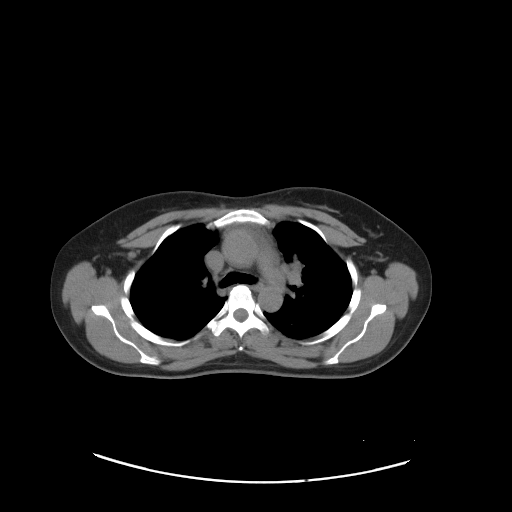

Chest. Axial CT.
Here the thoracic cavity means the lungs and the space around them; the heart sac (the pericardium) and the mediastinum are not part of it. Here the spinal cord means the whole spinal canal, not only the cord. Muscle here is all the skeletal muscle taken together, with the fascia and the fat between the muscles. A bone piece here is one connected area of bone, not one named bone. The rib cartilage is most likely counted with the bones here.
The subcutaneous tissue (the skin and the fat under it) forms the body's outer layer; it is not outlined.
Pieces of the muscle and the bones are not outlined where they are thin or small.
Outlines:
mediastinum: (236, 223) (274, 227) (272, 231) (273, 235) (287, 265) (285, 293) (282, 304) (277, 311) (268, 312) (262, 310) (254, 299) (251, 290) (245, 284) (240, 283) (233, 286) (226, 297) (217, 294) (213, 278) (206, 266) (204, 256) (218, 241) (218, 231) (216, 230)
bones 1: (132, 268) (136, 272) (128, 297) (134, 318) (164, 338) (180, 341) (193, 337) (220, 310) (230, 290) (240, 284) (250, 290) (273, 327) (265, 335) (250, 328) (241, 337) (228, 327) (217, 336) (205, 329) (197, 338) (181, 346) (154, 343) (136, 332) (121, 306) (124, 279); inner edge: (241, 308) (242, 309) (244, 309) (246, 311) (246, 312) (247, 313) (247, 316) (246, 317) (246, 318) (244, 320) (243, 320) (242, 321) (239, 321) (238, 320) (237, 320) (234, 317) (234, 312) (236, 310) (237, 310) (238, 309) (240, 309)
bones 2: (347, 257) (351, 258) (356, 267) (357, 286) (361, 290) (361, 295) (357, 307) (344, 327) (328, 339) (314, 344) (301, 343) (302, 341) (314, 339) (317, 335) (331, 326) (344, 313) (348, 311) (347, 308) (352, 295) (353, 285) (350, 273) (345, 262) (345, 259)
bones 3: (238, 208) (252, 208) (254, 209) (256, 211) (259, 212) (263, 216) (267, 218) (271, 222) (271, 224) (270, 225) (262, 225) (254, 222) (234, 222) (233, 223) (225, 225) (220, 228) (216, 228) (215, 229) (208, 229) (205, 226) (207, 223) (221, 217) (231, 210) (237, 209)
bones 4: (98, 304) (103, 304) (106, 306) (114, 320) (116, 329) (123, 337) (133, 342) (144, 353) (150, 356) (156, 356) (161, 362) (157, 365) (146, 364) (140, 362) (139, 353) (131, 345) (121, 341) (116, 336) (111, 322) (104, 316) (97, 315) (92, 311) (91, 306)
bones 5: (375, 303) (385, 304) (386, 305) (385, 311) (380, 314) (377, 314) (368, 322) (363, 335) (358, 340) (348, 345) (342, 351) (338, 356) (338, 362) (337, 363) (324, 364) (323, 363) (324, 360) (333, 356) (347, 341) (354, 338) (362, 330) (363, 324) (370, 314) (371, 307)
bones 6: (177, 223) (181, 223) (182, 224) (182, 227) (181, 227) (179, 229) (176, 230) (174, 232) (167, 236) (161, 242) (161, 243) (158, 246) (156, 250) (152, 254) (151, 254) (151, 252) (153, 248) (155, 246) (158, 239) (163, 233) (163, 232) (171, 225) (173, 224) (176, 224)
bones 7: (299, 218) (300, 219) (303, 219) (304, 220) (309, 221) (313, 224) (314, 224) (316, 226) (317, 226) (323, 232) (323, 233) (326, 237) (326, 239) (328, 242) (327, 243) (321, 237) (321, 236) (313, 229) (312, 229) (311, 228) (310, 228) (309, 227) (298, 222) (296, 220)
muscle 1: (85, 260) (115, 278) (121, 278) (127, 271) (119, 302) (129, 325) (142, 338) (168, 347) (186, 345) (205, 330) (217, 337) (227, 328) (240, 338) (250, 329) (265, 336) (274, 327) (296, 339) (316, 336) (302, 340) (303, 345) (328, 340) (345, 327) (360, 302) (362, 290) (358, 286) (356, 265) (361, 273) (370, 276) (390, 262) (404, 263) (416, 273) (418, 292) (387, 345) (363, 359) (338, 363) (339, 356) (364, 335) (374, 317) (386, 311) (385, 303) (375, 302) (361, 330) (322, 361) (324, 365) (332, 365) (291, 368) (238, 352) (185, 370) (166, 370) (150, 365) (157, 366) (162, 361) (123, 336) (103, 303) (92, 304) (91, 311) (110, 322) (115, 336) (138, 353) (141, 363) (112, 360) (89, 343) (62, 301) (67, 272)
muscle 2: (201, 207) (237, 208) (231, 209) (206, 223) (198, 222) (184, 227) (181, 222) (171, 224) (159, 236) (150, 252) (151, 255) (137, 271) (133, 267) (128, 270) (132, 261) (132, 254) (127, 248) (121, 247) (116, 242) (117, 240) (123, 238) (140, 225) (160, 214) (173, 210)
muscle 3: (267, 203) (294, 205) (323, 211) (344, 223) (366, 240) (353, 251) (352, 259) (347, 256) (344, 261) (328, 244) (329, 242) (324, 232) (309, 220) (299, 217) (295, 220) (296, 221) (281, 220) (274, 226) (265, 226) (270, 226) (272, 222) (259, 211) (248, 207) (258, 207)
thoracic cavity 1: (198, 223) (205, 224) (204, 226) (208, 230) (217, 231) (217, 241) (205, 253) (203, 256) (203, 260) (212, 278) (216, 294) (226, 298) (219, 310) (193, 336) (180, 340) (170, 337) (164, 337) (150, 330) (139, 321) (130, 301) (130, 290) (138, 270) (167, 237) (181, 228)
thoracic cavity 2: (281, 221) (297, 222) (317, 233) (345, 263) (351, 280) (351, 295) (344, 312) (327, 328) (316, 335) (305, 338) (296, 338) (286, 335) (276, 328) (268, 320) (263, 312) (277, 312) (283, 304) (286, 293) (288, 265) (283, 253) (278, 246) (278, 242) (273, 231) (276, 224)
spinal cord: (241, 308) (242, 309) (244, 309) (246, 311) (246, 312) (247, 313) (247, 316) (246, 317) (246, 318) (244, 320) (243, 320) (242, 321) (239, 321) (238, 320) (237, 320) (234, 317) (234, 312) (236, 310) (237, 310) (238, 309) (240, 309)
torso: (289, 186) (326, 187) (357, 197) (404, 229) (425, 252) (432, 274) (431, 301) (407, 345) (389, 362) (369, 373) (348, 378) (233, 372) (162, 379) (104, 371) (83, 359) (65, 340) (50, 308) (50, 275) (59, 249) (78, 231) (124, 203) (159, 192) (197, 190) (244, 196)